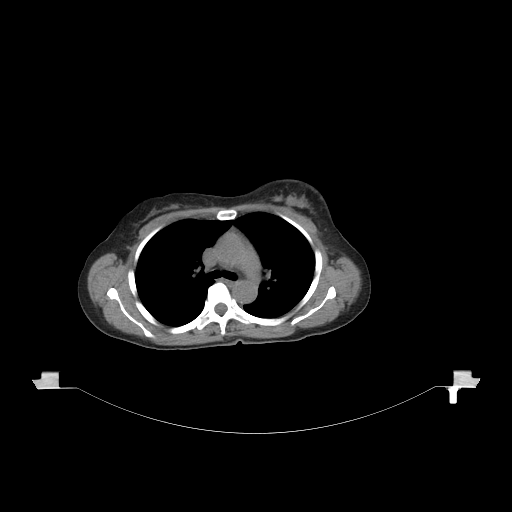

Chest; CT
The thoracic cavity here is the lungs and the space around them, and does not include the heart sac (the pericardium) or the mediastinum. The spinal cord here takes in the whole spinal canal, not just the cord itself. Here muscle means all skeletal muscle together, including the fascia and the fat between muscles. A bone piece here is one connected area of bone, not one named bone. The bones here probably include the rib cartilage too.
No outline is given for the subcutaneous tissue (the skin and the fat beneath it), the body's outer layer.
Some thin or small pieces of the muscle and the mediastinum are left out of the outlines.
Outlined structures:
torso: 281 178; 303 180; 316 187; 323 195; 337 228; 366 261; 371 279; 370 298; 364 310; 352 321; 333 331; 297 341; 238 342; 189 350; 157 350; 111 337; 97 329; 85 316; 76 289; 84 262; 120 218; 140 201; 177 191; 238 195
mediastinum: 232 225; 241 230; 254 246; 263 268; 263 271; 261 273; 262 278; 259 283; 255 299; 250 303; 245 303; 242 305; 240 305; 232 296; 228 287; 223 282; 215 281; 205 272; 205 266; 202 259; 204 250; 212 246; 216 240
muscle: 256 202; 284 206; 308 217; 315 224; 318 229; 319 238; 323 244; 329 247; 335 247; 340 252; 351 259; 360 270; 361 288; 357 297; 349 307; 344 311; 342 311; 333 320; 322 325; 314 327; 299 328; 292 334; 281 337; 256 338; 255 337; 246 337; 242 335; 234 335; 224 337; 222 340; 204 343; 186 345; 161 345; 154 343; 147 339; 144 339; 137 335; 126 333; 115 328; 106 321; 100 308; 96 306; 91 300; 87 289; 87 276; 91 265; 99 257; 110 252; 115 253; 124 262; 129 254; 128 247; 131 246; 136 241; 140 228; 152 219; 162 214; 176 210; 211 206; 222 206; 228 208; 231 206; 243 203; 255 203; inner edges: 222 209; 234 209; 238 216; 250 212; 281 213; 299 224; 310 236; 313 243; 311 248; 318 249; 321 253; 322 266; 315 290; 300 309; 278 325; 246 324; 232 318; 225 325; 224 335; 221 334; 219 324; 214 321; 201 329; 173 334; 168 331; 169 325; 149 322; 135 305; 136 299; 140 298; 132 294; 128 283; 128 271; 136 269; 134 257; 138 245; 159 225; 165 227; 190 218; 214 219, then 110 287; 113 287; 117 290; 118 296; 125 310; 133 318; 140 322; 149 331; 150 331; 155 337; 153 338; 152 337; 146 336; 144 334; 142 329; 138 325; 130 320; 123 313; 120 308; 118 302; 115 299; 109 298; 106 293; 107 290, then 330 286; 333 286; 335 288; 336 294; 333 298; 327 299; 320 308; 316 310; 307 317; 296 322; 292 325; 290 323; 291 319; 293 317; 295 316; 298 316; 299 315; 302 315; 306 313; 310 309; 317 306; 326 295; 327 293; 327 290
thoracic cavity: 250 212; 278 216; 311 246; 313 276; 296 305; 277 317; 256 316; 241 306; 256 299; 264 268; 255 246; 232 224; 202 252; 204 272; 214 282; 207 288; 200 312; 177 326; 156 319; 140 300; 135 276; 149 240; 180 220; 226 221
spinal cord: 219 303; 222 303; 223 304; 224 304; 226 306; 226 310; 222 314; 219 314; 218 313; 217 313; 216 312; 216 311; 215 310; 215 306; 217 304; 218 304
bones 1: 314 249; 320 251; 322 260; 316 288; 305 304; 280 324; 246 324; 232 318; 225 325; 224 335; 214 321; 201 329; 176 334; 168 331; 170 327; 188 323; 201 312; 208 288; 215 282; 223 283; 251 315; 277 318; 288 313; 313 279, around a hole outlined by 219 303; 222 303; 223 304; 224 304; 226 306; 226 310; 222 314; 219 314; 218 313; 217 313; 216 312; 216 311; 215 310; 215 306; 217 304; 218 304
bones 2: 110 287; 113 287; 117 290; 118 296; 125 310; 133 318; 140 322; 149 331; 150 331; 155 337; 153 338; 152 337; 146 336; 144 334; 142 329; 138 325; 130 320; 123 313; 120 308; 118 302; 115 299; 109 298; 106 293; 107 290
bones 3: 330 286; 333 286; 335 288; 336 294; 333 298; 327 299; 320 308; 316 310; 307 317; 296 322; 292 325; 290 323; 291 319; 293 317; 295 316; 298 316; 299 315; 302 315; 306 313; 310 309; 317 306; 326 295; 327 293; 327 290
bones 4: 159 225; 163 225; 163 227; 156 233; 155 233; 148 240; 148 241; 145 244; 145 245; 141 250; 140 254; 138 257; 137 262; 136 264; 135 264; 134 263; 134 257; 135 256; 135 252; 138 245; 140 243; 140 242; 153 229; 154 229
bones 5: 136 299; 138 299; 141 302; 141 303; 144 306; 144 307; 151 314; 151 315; 153 316; 153 317; 155 318; 155 319; 158 321; 159 323; 158 325; 155 325; 149 322; 142 315; 142 314; 139 311; 139 310; 135 305; 135 301
bones 6: 222 209; 234 209; 235 210; 236 210; 237 211; 237 216; 235 218; 234 218; 233 219; 227 219; 226 220; 220 220; 219 219; 217 219; 216 218; 215 218; 215 216; 216 215; 216 213; 219 210; 221 210
bones 7: 277 213; 281 213; 289 217; 291 219; 295 221; 298 224; 299 224; 308 233; 308 234; 310 236; 312 240; 312 242; 313 243; 312 246; 310 244; 308 240; 305 237; 305 236; 295 226; 294 226; 283 218; 277 215
bones 8: 130 269; 133 269; 134 270; 134 276; 135 277; 135 285; 136 286; 136 289; 137 290; 137 296; 136 297; 135 297; 132 294; 132 293; 131 292; 131 290; 129 287; 129 284; 128 283; 128 277; 127 276; 127 274; 128 273; 128 271